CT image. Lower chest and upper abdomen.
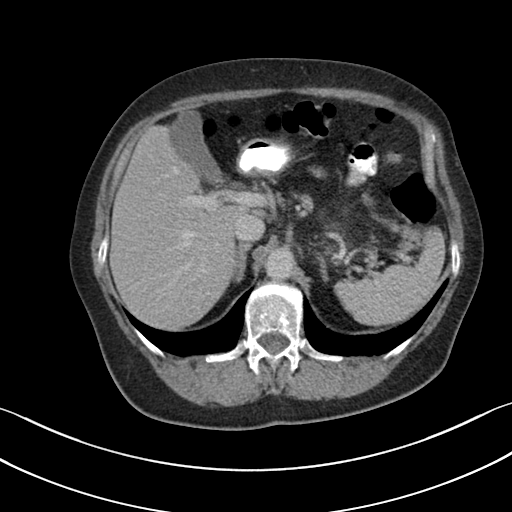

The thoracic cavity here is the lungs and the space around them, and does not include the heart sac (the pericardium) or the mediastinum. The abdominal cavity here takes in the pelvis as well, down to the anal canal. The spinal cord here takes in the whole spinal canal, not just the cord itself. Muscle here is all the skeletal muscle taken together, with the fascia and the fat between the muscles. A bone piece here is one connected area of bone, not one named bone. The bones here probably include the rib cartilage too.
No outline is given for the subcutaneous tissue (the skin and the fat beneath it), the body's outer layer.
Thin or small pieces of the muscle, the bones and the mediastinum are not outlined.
The spinal cord is outlined by [[272,332],[273,333],[274,333],[275,332],[277,332],[278,333],[285,336],[288,339],[288,340],[289,341],[288,344],[282,350],[281,350],[277,353],[270,353],[267,350],[266,350],[266,349],[258,342],[258,339],[263,334],[265,334],[266,333],[271,333]]. The torso is outlined by [[249,57],[319,58],[365,64],[411,82],[437,102],[450,122],[478,207],[484,237],[482,270],[444,368],[404,398],[354,415],[305,424],[216,430],[167,423],[135,409],[121,394],[104,363],[69,269],[68,249],[76,204],[103,139],[138,95],[177,72]]. The mediastinum is outlined by [[277,244],[282,244],[288,247],[294,252],[297,260],[297,264],[295,270],[295,276],[297,279],[297,281],[301,285],[301,289],[296,284],[291,282],[276,282],[270,280],[264,281],[256,285],[253,288],[260,269],[260,253],[266,248],[272,245],[276,245]]. The bones appear in 6 outlined pieces: piece 1: [[268,281],[291,283],[301,290],[301,335],[316,350],[343,356],[340,361],[319,360],[300,349],[301,358],[293,372],[286,357],[274,370],[262,358],[259,373],[255,374],[246,350],[231,360],[205,360],[207,354],[231,350],[246,336],[245,304],[250,292]]; inner edge: [[272,332],[273,333],[274,333],[275,332],[277,332],[278,333],[285,336],[288,339],[288,340],[289,341],[288,344],[282,350],[281,350],[277,353],[270,353],[267,350],[266,350],[266,349],[258,342],[258,339],[263,334],[265,334],[266,333],[271,333]]; piece 2: [[452,239],[456,241],[457,243],[457,245],[458,246],[458,250],[460,254],[460,264],[459,265],[459,269],[458,270],[458,273],[455,277],[453,276],[453,274],[451,271],[451,244],[450,243]]; piece 3: [[133,325],[148,340],[149,340],[153,344],[157,346],[162,351],[163,351],[164,352],[165,357],[163,358],[159,356],[157,354],[155,354],[153,353],[141,341],[139,337],[134,331],[133,329]]; piece 4: [[106,234],[108,234],[108,236],[109,237],[108,238],[108,245],[107,246],[107,252],[106,253],[106,259],[103,265],[100,265],[98,263],[98,261],[97,260],[97,254],[98,253],[98,249],[99,248],[99,245],[100,244],[100,242],[103,238],[103,237]]; piece 5: [[413,334],[415,334],[413,339],[398,354],[396,355],[394,355],[393,356],[391,356],[387,359],[384,359],[383,358],[383,355],[384,354],[385,354],[387,352],[388,352],[390,350],[391,350],[393,348],[397,346],[400,343],[404,341],[407,338],[408,338]]; piece 6: [[429,129],[431,129],[432,130],[432,131],[435,134],[435,137],[436,138],[436,139],[433,144],[433,146],[432,147],[432,163],[432,161],[430,159],[430,156],[429,155],[428,150],[426,147],[426,139],[425,138],[425,133],[426,132],[426,131]]. The thoracic cavity appears in 2 outlined pieces: piece 1: [[446,280],[448,280],[448,281],[441,295],[431,311],[416,331],[385,353],[372,355],[342,355],[341,354],[326,353],[316,349],[305,336],[303,328],[304,300],[305,299],[316,319],[327,330],[336,334],[346,336],[377,335],[397,329],[411,320],[426,306]]; piece 2: [[250,290],[244,304],[243,327],[239,338],[236,344],[231,349],[220,352],[193,354],[185,356],[180,356],[166,352],[148,339],[130,321],[124,310],[131,314],[138,321],[156,330],[170,333],[194,332],[203,330],[219,322],[228,314],[236,302],[246,292]]. The abdominal cavity is outlined by [[286,92],[380,106],[415,127],[423,183],[440,202],[447,222],[448,279],[397,328],[336,333],[324,327],[304,298],[295,252],[277,243],[259,253],[252,288],[216,323],[170,332],[138,320],[116,297],[106,263],[112,201],[136,141],[150,125],[176,112]]. The muscle is outlined by [[303,86],[355,88],[360,90],[365,90],[382,94],[393,98],[399,103],[404,103],[407,106],[417,109],[420,112],[432,119],[437,126],[439,127],[442,133],[444,141],[446,167],[451,184],[455,192],[455,195],[457,197],[460,205],[461,215],[462,216],[462,224],[464,231],[464,250],[463,251],[464,264],[462,273],[459,277],[459,283],[452,295],[444,314],[431,333],[413,350],[410,351],[385,379],[369,390],[357,395],[341,399],[300,400],[299,399],[294,399],[291,397],[284,397],[281,400],[278,400],[274,399],[269,395],[265,397],[262,397],[253,402],[236,406],[222,406],[212,408],[207,406],[198,405],[184,399],[167,386],[155,373],[148,360],[130,342],[119,327],[114,315],[110,310],[103,296],[100,286],[98,284],[94,275],[90,243],[94,230],[96,200],[97,195],[99,192],[102,177],[105,168],[112,156],[117,144],[128,129],[136,122],[145,116],[151,114],[152,112],[164,109],[171,102],[173,102],[180,98],[192,95],[224,91],[225,90],[255,89],[256,88],[283,88],[284,87],[302,87]] with holes at [[286,92],[380,106],[415,127],[423,183],[457,243],[458,273],[449,269],[413,339],[387,359],[319,360],[300,349],[293,372],[286,357],[274,370],[262,358],[255,374],[246,350],[215,362],[204,354],[163,358],[136,334],[97,260],[132,149],[176,112]] and at [[429,129],[431,129],[432,130],[432,131],[435,134],[435,137],[436,138],[436,139],[433,144],[433,146],[432,147],[432,163],[432,161],[430,159],[430,156],[429,155],[428,150],[426,147],[426,139],[425,138],[425,133],[426,132],[426,131]].